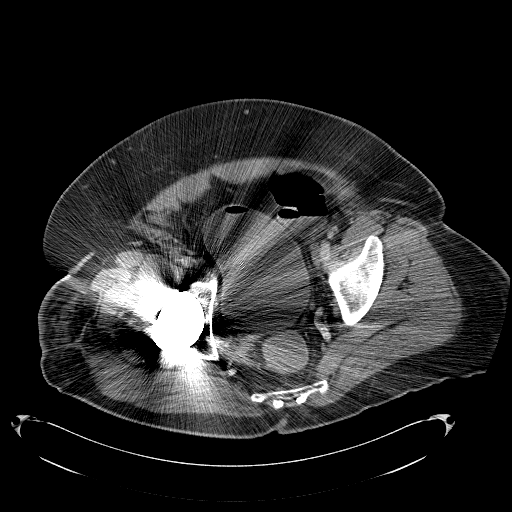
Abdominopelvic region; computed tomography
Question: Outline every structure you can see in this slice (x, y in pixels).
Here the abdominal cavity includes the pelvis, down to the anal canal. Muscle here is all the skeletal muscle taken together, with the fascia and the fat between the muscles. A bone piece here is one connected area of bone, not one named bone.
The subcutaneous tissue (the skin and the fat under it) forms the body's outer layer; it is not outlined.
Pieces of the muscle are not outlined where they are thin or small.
Answer: {"torso":[[[244,97],[289,101],[354,121],[434,184],[445,203],[444,222],[486,251],[509,276],[501,328],[483,373],[448,378],[317,428],[241,439],[132,422],[46,382],[37,314],[47,291],[66,273],[48,264],[42,239],[62,192],[95,158],[149,122],[196,104]]],"abdominal_cavity":[[[290,169],[324,175],[333,185],[337,203],[348,221],[328,254],[325,268],[333,318],[331,342],[310,375],[299,382],[278,384],[251,363],[229,354],[215,340],[212,318],[218,292],[216,276],[173,233],[170,221],[177,209],[206,192],[213,176],[239,185]]],"bones":[[[198,280],[208,282],[209,281],[214,286],[215,285],[215,304],[213,306],[211,316],[211,329],[213,335],[213,341],[218,346],[217,347],[219,356],[218,361],[178,359],[165,355],[155,342],[150,338],[146,329],[149,315],[161,302],[190,281]],[[371,234],[375,234],[378,236],[383,245],[382,251],[384,260],[384,273],[382,282],[373,303],[365,315],[356,324],[352,326],[346,326],[343,324],[340,316],[339,307],[334,298],[327,279],[330,272],[333,269],[349,260],[352,260],[360,253],[366,238]],[[322,379],[325,379],[327,381],[329,386],[328,390],[323,394],[319,392],[311,393],[304,402],[298,405],[294,404],[291,406],[284,406],[275,409],[271,405],[269,399],[266,399],[262,402],[253,402],[249,398],[249,395],[254,392],[291,389],[311,384]]],"muscle":[{"outer":[[261,156],[303,159],[334,168],[353,180],[362,199],[372,208],[421,222],[428,229],[428,239],[443,260],[461,299],[463,317],[454,335],[443,344],[399,359],[383,371],[359,383],[334,403],[320,407],[285,407],[257,417],[230,417],[221,414],[159,412],[102,394],[78,346],[71,322],[73,297],[80,282],[102,259],[120,251],[139,249],[158,254],[160,249],[158,247],[128,230],[125,225],[159,190],[178,179],[219,164]],"holes":[[[290,169],[324,175],[346,214],[327,279],[369,235],[381,240],[384,273],[368,311],[344,325],[330,287],[331,342],[290,384],[214,338],[218,361],[165,355],[146,329],[152,311],[190,281],[218,292],[211,268],[173,233],[174,212],[213,176],[239,185]],[[322,379],[325,379],[327,381],[329,386],[328,390],[323,394],[319,392],[311,393],[304,402],[298,405],[294,404],[291,406],[284,406],[275,409],[271,405],[269,399],[266,399],[262,402],[253,402],[249,398],[249,395],[254,392],[291,389],[311,384]]]}]}